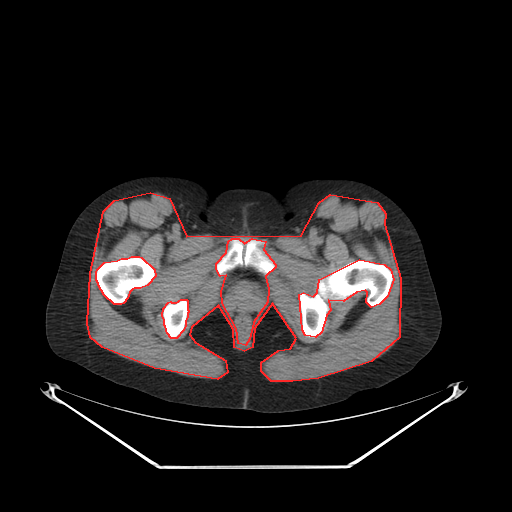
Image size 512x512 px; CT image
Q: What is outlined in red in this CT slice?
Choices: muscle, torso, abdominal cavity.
A: red: muscle.
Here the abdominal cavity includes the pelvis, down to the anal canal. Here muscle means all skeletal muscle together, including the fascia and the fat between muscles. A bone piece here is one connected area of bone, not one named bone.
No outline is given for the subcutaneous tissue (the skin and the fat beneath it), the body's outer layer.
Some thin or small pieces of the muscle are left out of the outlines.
The muscle is outlined by 150 192; 169 198; 186 236; 301 235; 319 202; 330 194; 377 202; 385 213; 384 224; 400 278; 399 337; 371 361; 318 378; 292 381; 271 381; 261 371; 261 362; 278 350; 290 348; 296 338; 272 303; 254 328; 252 347; 244 351; 234 347; 233 329; 218 305; 191 327; 189 334; 195 342; 225 360; 227 372; 217 379; 154 368; 102 347; 90 337; 87 323; 90 273; 103 211; 114 200; inner edges: 232 238; 238 238; 244 243; 252 238; 265 241; 263 249; 275 264; 275 267; 265 276; 268 289; 267 302; 253 322; 249 339; 245 345; 238 343; 236 328; 222 303; 221 291; 226 275; 220 276; 216 269; 216 263; 226 252; 228 241, then 359 259; 384 264; 390 269; 393 279; 387 296; 379 304; 371 307; 366 302; 367 292; 365 290; 356 292; 343 301; 328 300; 330 310; 326 315; 321 332; 315 337; 305 335; 302 330; 299 294; 303 292; 313 296; 317 292; 319 279, then 131 256; 139 256; 141 257; 154 269; 155 276; 147 285; 140 288; 134 288; 132 289; 129 292; 127 298; 123 303; 121 304; 114 304; 104 295; 98 285; 98 283; 96 280; 96 272; 97 269; 104 262; 117 260; 121 258; 127 258, then 181 299; 186 299; 187 300; 187 309; 188 310; 188 312; 187 313; 187 316; 185 321; 185 325; 183 330; 176 338; 171 338; 167 333; 165 326; 164 325; 164 320; 162 315; 163 308; 168 302; 170 301; 171 302; 176 302. The bones appear in 4 outlined pieces: piece 1: 359 259; 384 264; 390 269; 393 279; 387 296; 379 304; 371 307; 366 302; 367 292; 365 290; 356 292; 343 301; 328 300; 330 310; 326 315; 321 332; 315 337; 305 335; 302 330; 299 294; 303 292; 313 296; 317 292; 319 279; piece 2: 131 256; 139 256; 141 257; 154 269; 155 276; 147 285; 140 288; 134 288; 132 289; 129 292; 127 298; 123 303; 121 304; 114 304; 104 295; 98 285; 98 283; 96 280; 96 272; 97 269; 104 262; 117 260; 121 258; 127 258; piece 3: 232 238; 238 238; 244 243; 252 238; 261 239; 265 241; 266 244; 263 247; 263 249; 267 255; 273 260; 275 267; 267 275; 264 275; 253 267; 237 266; 228 271; 224 275; 220 276; 216 269; 216 263; 226 252; 229 245; 228 241; piece 4: 181 299; 186 299; 187 300; 187 309; 188 310; 188 312; 187 313; 187 316; 185 321; 185 325; 183 330; 176 338; 171 338; 167 333; 165 326; 164 325; 164 320; 162 315; 163 308; 168 302; 170 301; 171 302; 176 302. The abdominal cavity is outlined by 237 267; 246 268; 250 267; 265 276; 268 289; 267 302; 259 312; 255 321; 253 322; 253 325; 251 326; 249 332; 249 339; 245 345; 240 345; 238 343; 236 328; 234 326; 230 314; 226 311; 221 299; 221 291; 225 277; 228 272. The torso is outlined by 148 175; 192 179; 211 194; 229 188; 259 188; 279 196; 290 185; 312 178; 349 178; 375 187; 403 209; 422 241; 442 316; 436 343; 411 371; 379 388; 328 406; 272 414; 162 400; 57 356; 46 339; 45 309; 73 222; 107 189.